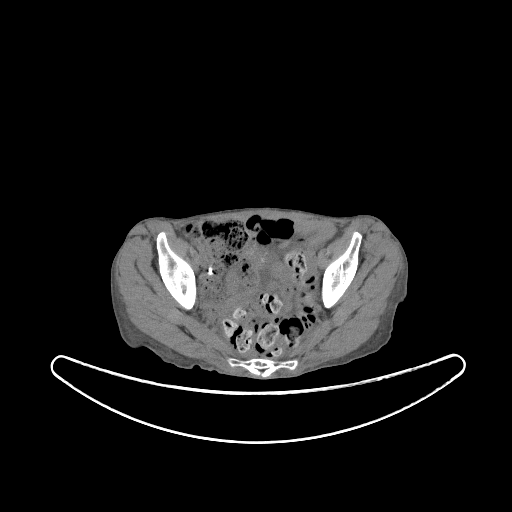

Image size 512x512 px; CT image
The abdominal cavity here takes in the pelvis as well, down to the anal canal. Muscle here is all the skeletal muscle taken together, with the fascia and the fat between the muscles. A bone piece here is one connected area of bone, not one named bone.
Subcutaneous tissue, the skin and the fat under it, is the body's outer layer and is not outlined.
Outlines (x, y in pixels):
muscle: [[259,209],[342,220],[366,217],[384,227],[399,247],[403,272],[378,327],[367,341],[341,357],[301,372],[270,376],[279,369],[293,371],[298,366],[296,358],[279,358],[300,345],[320,317],[320,304],[331,308],[349,287],[359,266],[363,235],[354,230],[346,248],[322,273],[318,254],[342,234],[341,227],[320,227],[301,219],[260,213],[240,220],[190,222],[176,229],[175,233],[199,255],[201,264],[196,274],[190,263],[171,248],[164,230],[155,237],[157,269],[169,294],[190,310],[196,303],[197,291],[203,317],[217,327],[236,352],[249,358],[229,356],[228,365],[255,376],[226,372],[184,356],[143,333],[129,320],[118,294],[115,266],[138,225],[151,220],[182,221]]
torso: [[247,206],[298,208],[333,216],[371,214],[381,219],[401,242],[408,260],[407,295],[396,309],[389,341],[376,352],[346,364],[293,379],[267,381],[220,375],[197,365],[179,368],[145,347],[128,346],[112,310],[110,266],[130,228],[152,216],[179,218]]
bones 1: [[161,231],[165,232],[167,238],[167,242],[170,248],[176,254],[189,263],[194,272],[195,280],[196,281],[196,300],[194,305],[190,309],[184,308],[170,294],[166,288],[159,273],[158,269],[159,268],[158,264],[158,253],[156,248],[156,237],[157,234]]
bones 2: [[354,231],[357,231],[362,235],[361,244],[358,253],[358,266],[356,272],[350,284],[339,299],[331,307],[326,308],[324,307],[321,298],[322,277],[323,276],[324,270],[327,265],[331,261],[334,260],[344,252],[349,245],[352,233]]
bones 3: [[229,357],[234,357],[243,360],[250,358],[278,358],[279,360],[296,359],[298,362],[297,363],[297,366],[295,369],[293,370],[290,370],[287,368],[279,368],[274,371],[268,377],[263,378],[256,376],[241,366],[231,367],[227,361],[227,359]]
abdominal cavity: [[252,214],[271,218],[287,217],[320,228],[338,227],[342,231],[317,254],[316,263],[322,274],[319,317],[303,336],[299,345],[280,357],[249,357],[239,353],[218,327],[204,317],[196,280],[202,264],[200,255],[176,233],[176,230],[186,224],[240,221]]